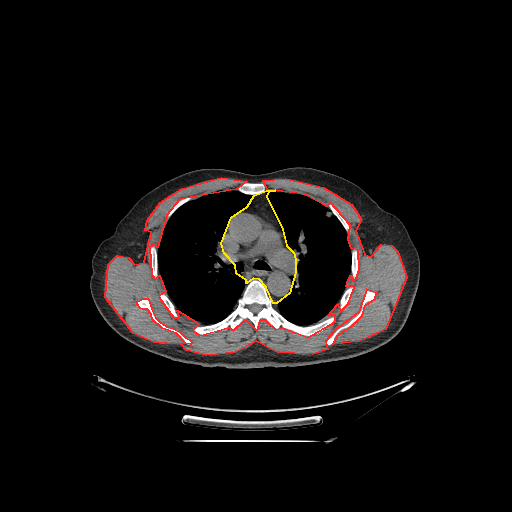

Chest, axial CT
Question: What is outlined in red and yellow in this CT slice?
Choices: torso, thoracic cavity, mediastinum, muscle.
Answer: red: muscle; yellow: mediastinum.
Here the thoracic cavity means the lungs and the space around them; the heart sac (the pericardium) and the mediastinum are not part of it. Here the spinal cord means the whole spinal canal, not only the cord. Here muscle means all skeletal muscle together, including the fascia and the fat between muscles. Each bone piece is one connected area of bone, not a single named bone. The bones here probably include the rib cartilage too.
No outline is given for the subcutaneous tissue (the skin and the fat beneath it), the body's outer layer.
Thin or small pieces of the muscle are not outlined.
The muscle is outlined by 221,177 246,181 236,189 179,199 166,215 157,247 154,244 149,247 151,274 155,279 159,275 165,291 158,296 173,317 179,317 177,310 195,321 198,324 192,330 199,335 228,327 233,330 245,319 257,331 260,320 264,319 275,329 282,327 308,337 335,321 335,315 328,315 337,304 340,311 348,303 354,287 346,286 347,282 350,275 353,280 356,278 359,269 358,250 351,248 348,239 350,225 330,202 326,206 304,194 267,189 263,180 285,178 323,187 351,204 361,219 355,230 364,254 371,256 381,244 391,245 397,251 406,277 385,329 359,341 333,344 337,335 351,326 362,315 365,305 375,298 376,293 366,289 358,312 334,330 325,341 327,349 312,354 277,352 256,341 235,352 206,355 186,350 181,344 153,342 133,333 105,297 108,264 117,255 128,257 134,264 144,262 151,232 145,230 147,220 160,202 182,188; inner edge: 143,298 147,298 148,299 152,311 155,317 159,321 166,326 173,328 179,331 185,337 189,339 191,341 191,343 190,344 185,343 176,333 162,328 152,319 151,314 147,309 142,309 140,308 137,304 137,301. The mediastinum is outlined by 266,190 275,190 268,191 266,196 282,229 286,245 293,252 295,259 295,272 289,293 276,303 273,303 266,287 259,279 253,278 246,283 246,280 236,273 235,265 224,253 221,243 231,217 247,206 254,195. The torso is outlined by 296,166 327,171 355,183 406,227 419,255 420,275 409,315 396,336 369,352 347,359 292,367 242,369 174,361 129,342 106,323 90,292 91,259 98,245 114,232 138,199 161,183 196,169 224,168 261,174. The spinal cord is outlined by 255,303 256,304 258,304 259,305 261,305 261,309 257,313 256,313 255,314 254,313 253,313 249,309 249,308 248,307 248,306 249,305 250,305 251,304 254,304. The thoracic cavity appears in 2 outlined pieces: piece 1: 222,190 237,190 252,196 247,205 230,217 220,243 223,253 229,258 229,262 233,263 235,273 243,278 246,284 235,307 224,318 209,324 199,324 179,311 166,293 159,274 158,245 168,220 178,208 191,200; piece 2: 270,191 296,193 319,202 329,209 347,234 350,247 350,274 346,287 338,302 327,316 313,324 300,325 294,323 288,320 273,305 290,293 296,272 296,259 294,252 287,245 283,229 271,207 267,196 267,193. The bones appear in 10 outlined pieces: piece 1: 253,279 263,284 274,308 288,321 308,326 333,315 334,321 322,331 308,336 282,326 275,328 264,318 259,320 257,330 245,318 233,329 228,326 209,334 195,332 193,326 209,325 224,319 236,307 246,285; inner edge: 255,303 256,304 258,304 259,305 261,305 261,309 257,313 256,313 255,314 254,313 253,313 249,309 249,308 248,307 248,306 249,305 250,305 251,304 254,304; piece 2: 366,290 369,290 374,292 375,293 374,298 372,300 368,301 364,305 364,308 361,315 351,325 341,330 336,335 332,344 327,345 326,344 326,341 335,330 339,327 346,324 359,312 361,309 363,295; piece 3: 143,298 147,298 148,299 152,311 155,317 159,321 166,326 173,328 179,331 185,337 189,339 191,341 191,343 190,344 185,343 176,333 162,328 152,319 151,314 147,309 142,309 140,308 137,304 137,301; piece 4: 244,182 250,182 251,183 257,183 258,182 260,182 261,183 263,183 265,185 266,187 266,189 265,191 259,194 254,194 253,195 251,194 246,194 245,193 243,193 241,192 237,189 238,186 240,184; piece 5: 152,245 154,245 155,246 156,246 156,247 157,248 157,265 158,266 158,277 157,278 155,278 153,276 153,275 152,274 152,271 151,270 151,266 150,265 150,262 149,261 149,252 150,251 150,247; piece 6: 160,292 163,292 164,293 165,293 168,296 168,297 173,303 173,304 175,306 175,307 176,308 176,311 178,314 178,317 175,317 174,316 173,316 165,307 164,304 162,302 162,301 159,296 159,293; piece 7: 329,203 332,204 342,214 345,220 349,225 349,227 350,228 350,233 348,234 347,233 344,227 342,225 340,221 337,218 337,217 331,212 330,209 327,206 327,204; piece 8: 353,248 355,248 357,250 357,252 358,253 358,269 357,270 357,273 356,274 356,276 355,277 355,278 354,279 353,279 352,278 352,277 351,276 351,249 352,249; piece 9: 349,286 352,286 353,287 353,291 351,294 351,296 350,297 349,300 347,302 347,303 342,308 342,309 339,310 339,305 338,304 338,303 339,302 339,300 340,299 341,296 343,294 344,291 346,289 346,288; piece 10: 186,197 191,197 192,198 192,199 191,199 190,200 185,202 179,207 178,207 174,211 174,212 169,217 169,218 168,219 167,218 167,215 168,214 169,211 171,209 171,208 179,200 180,200 183,198 185,198.